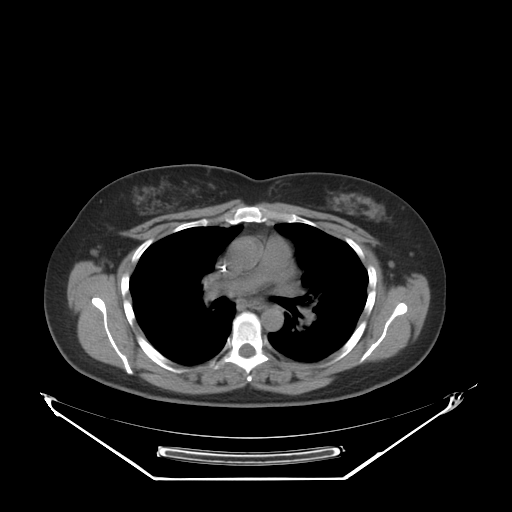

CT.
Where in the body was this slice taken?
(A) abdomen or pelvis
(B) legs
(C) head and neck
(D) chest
Answer: (D) chest
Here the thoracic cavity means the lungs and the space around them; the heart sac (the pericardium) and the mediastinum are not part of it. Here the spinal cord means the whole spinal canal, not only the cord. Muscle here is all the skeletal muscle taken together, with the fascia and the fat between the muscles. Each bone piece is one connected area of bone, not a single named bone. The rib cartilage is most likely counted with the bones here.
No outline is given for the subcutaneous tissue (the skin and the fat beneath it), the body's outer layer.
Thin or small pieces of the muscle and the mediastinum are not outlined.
The muscle appears in 2 outlined pieces: piece 1: [[263,201],[283,202],[332,214],[365,230],[380,243],[372,250],[387,285],[403,284],[404,275],[412,272],[423,274],[428,281],[430,302],[423,326],[413,342],[392,357],[339,372],[329,384],[300,394],[252,389],[248,384],[220,393],[186,394],[161,388],[132,375],[134,371],[109,329],[106,304],[101,297],[93,296],[90,302],[101,312],[105,333],[125,372],[91,357],[83,349],[67,301],[70,271],[76,262],[92,260],[103,266],[104,272],[115,273],[122,259],[135,248],[130,258],[135,264],[133,270],[130,274],[124,272],[120,278],[122,308],[128,324],[133,327],[136,321],[143,332],[144,335],[135,335],[137,344],[158,366],[180,374],[189,369],[176,367],[174,363],[193,366],[207,361],[207,365],[215,370],[232,363],[244,370],[245,379],[250,382],[253,378],[251,371],[273,354],[279,353],[300,362],[315,362],[337,351],[323,366],[347,355],[367,326],[365,319],[358,323],[362,312],[368,316],[376,300],[375,267],[363,264],[365,254],[352,238],[340,239],[321,229],[316,222],[293,212],[253,205]]; inner edge: [[400,302],[403,302],[406,304],[407,306],[407,310],[406,312],[403,314],[397,315],[391,321],[386,330],[386,333],[383,339],[370,353],[370,354],[360,363],[359,362],[360,358],[367,349],[373,343],[374,343],[381,335],[386,321],[391,315],[396,305]]; piece 2: [[233,199],[240,199],[247,205],[231,208],[214,218],[202,217],[198,219],[183,221],[175,226],[168,234],[155,241],[153,237],[150,237],[141,242],[137,239],[128,237],[122,233],[134,226],[157,216],[193,208],[200,208],[215,205]]. The spinal cord is outlined by [[245,344],[248,344],[249,345],[250,345],[254,349],[254,354],[253,354],[251,356],[249,356],[248,357],[245,357],[244,356],[242,356],[239,353],[239,350],[240,349],[240,348],[243,345],[244,345]]. The torso is outlined by [[182,163],[231,168],[256,179],[303,171],[343,173],[378,183],[403,198],[429,227],[446,270],[446,313],[428,355],[402,377],[361,395],[275,407],[160,401],[113,388],[74,369],[56,347],[43,309],[45,272],[54,246],[83,205],[104,185],[140,169]]. The bones appear in 10 outlined pieces: piece 1: [[245,311],[252,312],[257,316],[262,333],[266,335],[268,341],[278,353],[273,353],[268,360],[255,366],[249,373],[252,378],[250,381],[246,379],[245,370],[232,362],[226,362],[217,369],[208,365],[208,361],[224,346],[227,337],[231,333],[235,316]], around a hole outlined by [[245,344],[248,344],[249,345],[250,345],[254,349],[254,354],[253,354],[251,356],[249,356],[248,357],[245,357],[244,356],[242,356],[239,353],[239,350],[240,349],[240,348],[243,345],[244,345]]; piece 2: [[248,205],[263,207],[278,212],[293,213],[316,223],[318,227],[303,222],[285,222],[276,220],[269,220],[264,222],[242,221],[236,224],[214,222],[209,225],[188,227],[170,233],[175,227],[183,222],[198,220],[202,218],[214,219],[231,209]]; piece 3: [[138,334],[144,336],[149,343],[151,344],[154,348],[155,348],[162,355],[173,362],[172,365],[174,367],[176,368],[186,368],[188,369],[188,370],[180,373],[177,373],[176,372],[170,371],[158,365],[146,355],[138,344],[136,340],[136,335]]; piece 4: [[93,297],[99,297],[103,300],[105,304],[107,325],[110,334],[118,349],[125,355],[127,361],[133,371],[133,374],[131,375],[126,372],[124,367],[124,364],[121,358],[117,354],[112,346],[104,327],[103,314],[102,312],[91,302],[91,299]]; piece 5: [[363,320],[365,320],[366,321],[366,326],[364,329],[364,331],[361,337],[358,340],[356,344],[351,349],[351,350],[347,354],[346,354],[337,361],[327,365],[323,365],[329,362],[338,353],[338,350],[347,341],[347,340],[350,337],[356,328],[357,325]]; piece 6: [[400,302],[403,302],[406,304],[407,306],[407,310],[406,312],[403,314],[397,315],[391,321],[386,330],[386,333],[383,339],[370,353],[370,354],[360,363],[359,362],[360,358],[367,349],[373,343],[374,343],[381,335],[386,321],[391,315],[396,305]]; piece 7: [[126,272],[127,272],[130,275],[129,277],[129,293],[126,295],[126,298],[131,300],[132,309],[135,316],[135,320],[133,322],[133,326],[131,326],[129,324],[128,320],[125,315],[125,312],[123,308],[123,297],[121,294],[121,278],[122,277],[122,275]]; piece 8: [[368,265],[372,265],[375,269],[375,271],[376,272],[376,284],[375,285],[375,300],[370,313],[367,315],[367,314],[364,312],[363,310],[367,299],[367,293],[370,289],[370,288],[368,287],[368,281],[369,280],[369,278],[368,277],[368,273],[366,268]]; piece 9: [[150,238],[153,238],[154,239],[154,241],[151,244],[150,244],[141,254],[141,255],[139,257],[139,258],[136,262],[136,263],[133,263],[131,261],[131,258],[132,257],[132,256],[133,255],[136,248],[141,243],[142,243],[144,241],[145,241]]; piece 10: [[345,237],[348,237],[349,238],[352,239],[356,243],[357,243],[359,245],[359,246],[361,248],[361,249],[362,250],[362,251],[364,254],[364,258],[362,260],[361,260],[361,259],[359,257],[359,256],[356,253],[356,252],[344,240],[344,238]]. The mediastinum is outlined by [[269,221],[280,222],[273,227],[281,235],[246,237],[230,274],[233,284],[242,292],[279,292],[293,285],[302,270],[301,293],[274,298],[288,311],[282,327],[264,334],[254,312],[236,314],[235,304],[218,296],[214,271],[218,256],[242,229],[237,224]]. The pericardium is outlined by [[272,234],[276,234],[285,238],[291,244],[293,248],[293,258],[300,271],[299,277],[293,284],[279,291],[248,292],[238,289],[236,287],[236,285],[234,284],[231,274],[234,267],[234,262],[236,260],[243,242],[246,238],[250,236],[266,236],[267,237]]. The thoracic cavity appears in 2 outlined pieces: piece 1: [[210,225],[225,228],[235,225],[241,226],[240,231],[217,256],[213,271],[217,284],[217,296],[225,297],[234,304],[235,315],[231,322],[230,333],[215,355],[201,363],[182,365],[162,354],[145,336],[133,309],[130,277],[142,254],[154,242],[184,229]]; piece 2: [[281,222],[307,224],[344,241],[355,252],[366,269],[368,278],[366,299],[355,328],[337,350],[319,360],[300,361],[287,357],[273,347],[267,336],[283,327],[285,313],[289,311],[275,298],[294,298],[302,293],[303,270],[297,263],[294,244],[274,227]].